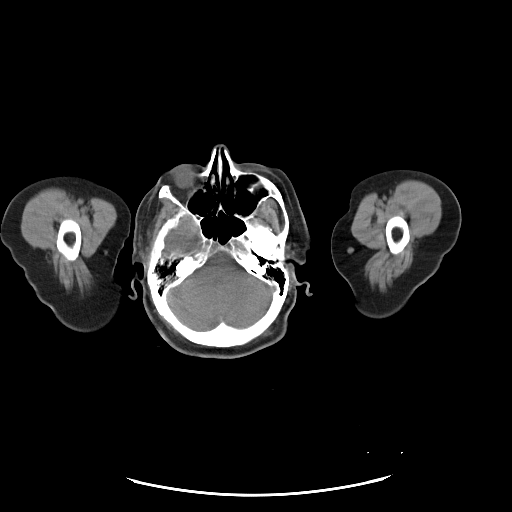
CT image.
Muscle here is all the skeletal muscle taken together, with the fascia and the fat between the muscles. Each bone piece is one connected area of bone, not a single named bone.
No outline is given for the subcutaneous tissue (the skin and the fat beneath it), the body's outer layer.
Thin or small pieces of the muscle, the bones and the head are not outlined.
The brain appears in 2 outlined pieces: piece 1: (219, 251) (228, 254) (235, 263) (248, 274) (263, 282) (271, 288) (272, 290) (271, 299) (264, 313) (249, 325) (238, 327) (228, 324) (222, 320) (209, 329) (197, 330) (182, 322) (174, 313) (168, 303) (168, 294) (171, 289) (178, 286) (196, 270) (201, 268) (214, 254); piece 2: (182, 219) (189, 220) (191, 222) (191, 224) (193, 227) (195, 228) (195, 230) (199, 238) (199, 247) (197, 249) (194, 249) (193, 251) (180, 252) (172, 250) (168, 253) (164, 253) (163, 251) (166, 246) (166, 242) (165, 241) (166, 237) (171, 230) (173, 230) (178, 227). The right arm is outlined by (62, 174) (86, 177) (113, 190) (125, 201) (130, 210) (129, 234) (118, 255) (113, 275) (123, 289) (121, 307) (107, 327) (94, 333) (76, 332) (60, 323) (50, 308) (36, 297) (24, 277) (23, 270) (13, 261) (9, 250) (0, 241) (3, 214) (13, 196) (35, 180). The bones appear in 3 outlined pieces: piece 1: (216, 147) (226, 148) (238, 169) (276, 185) (289, 221) (284, 255) (290, 281) (282, 307) (262, 333) (230, 347) (180, 334) (158, 313) (147, 284) (153, 242) (178, 211) (170, 199) (158, 197) (162, 185) (188, 201) (188, 209) (203, 217) (203, 233) (222, 244) (245, 229) (234, 213) (248, 215) (267, 193) (247, 190) (256, 179) (251, 175) (236, 182) (230, 177) (226, 191) (224, 153) (222, 185) (215, 157) (214, 187) (208, 179) (200, 190) (197, 174) with holes at (219, 251) (228, 254) (235, 263) (248, 274) (263, 282) (271, 288) (272, 290) (271, 299) (264, 313) (249, 325) (238, 327) (228, 324) (222, 320) (209, 329) (197, 330) (182, 322) (174, 313) (168, 303) (168, 294) (171, 289) (178, 286) (196, 270) (201, 268) (214, 254) and at (182, 219) (189, 220) (191, 222) (191, 224) (193, 227) (195, 228) (195, 230) (199, 238) (199, 247) (197, 249) (194, 249) (193, 251) (180, 252) (172, 250) (168, 253) (164, 253) (163, 251) (166, 246) (166, 242) (165, 241) (166, 237) (171, 230) (173, 230) (178, 227) and at (269, 198) (272, 198) (274, 199) (279, 205) (279, 207) (281, 210) (281, 213) (283, 217) (283, 220) (284, 221) (282, 228) (280, 231) (277, 233) (274, 232) (272, 228) (268, 224) (264, 224) (262, 223) (257, 216) (258, 212) (262, 209) (262, 206) (264, 205) (266, 201) and at (268, 271) (275, 271) (276, 272) (277, 272) (278, 273) (280, 273) (281, 274) (281, 275) (282, 276) (282, 278) (283, 279) (283, 284) (282, 285) (282, 287) (281, 287) (281, 285) (280, 284) (280, 282) (274, 276) (273, 276) (272, 275) (270, 275) (268, 273) and at (173, 265) (175, 265) (174, 266) (174, 269) (171, 272) (169, 272) (168, 273) (166, 273) (164, 275) (164, 274) (162, 272) (162, 271) (161, 270) (161, 269) (162, 268) (165, 268) (165, 269) (166, 270) (168, 270) (169, 269) (170, 269) (173, 266); piece 2: (67, 218) (71, 218) (76, 221) (79, 225) (80, 231) (81, 232) (81, 244) (79, 249) (79, 253) (78, 254) (78, 256) (72, 261) (66, 259) (66, 258) (57, 249) (57, 246) (56, 245) (57, 233) (58, 232) (58, 228) (59, 227) (60, 222) (63, 219) (66, 219); piece 3: (394, 215) (401, 215) (407, 221) (407, 223) (408, 224) (408, 228) (409, 229) (409, 240) (403, 250) (401, 252) (397, 254) (392, 254) (390, 252) (388, 245) (387, 244) (387, 241) (386, 240) (386, 235) (385, 234) (385, 227) (386, 226) (386, 223) (388, 219) (390, 217). The head is outlined by (218, 142) (234, 162) (285, 172) (311, 237) (305, 262) (294, 270) (298, 281) (310, 284) (311, 295) (305, 283) (296, 287) (286, 334) (271, 347) (232, 359) (176, 350) (148, 317) (139, 281) (134, 283) (136, 299) (129, 297) (140, 201) (175, 165) (205, 166) with holes at (222, 154) (228, 167) (226, 192) (230, 178) (236, 183) (241, 176) (255, 179) (245, 186) (250, 194) (266, 192) (248, 214) (233, 213) (244, 229) (223, 243) (204, 233) (204, 217) (188, 207) (196, 192) (207, 190) (208, 180) (215, 187) (215, 158) (218, 185) (223, 185) and at (268, 271) (275, 271) (276, 272) (277, 272) (278, 273) (280, 273) (281, 274) (281, 275) (282, 276) (282, 278) (283, 279) (283, 284) (282, 285) (282, 287) (281, 287) (281, 285) (280, 284) (280, 282) (274, 276) (273, 276) (272, 275) (270, 275) (268, 273) and at (173, 265) (175, 265) (174, 266) (174, 269) (171, 272) (169, 272) (168, 273) (166, 273) (164, 275) (164, 274) (162, 272) (162, 271) (161, 270) (161, 269) (162, 268) (165, 268) (165, 269) (166, 270) (168, 270) (169, 269) (170, 269) (173, 266). The left arm is outlined by (397, 168) (424, 171) (447, 184) (459, 202) (462, 218) (461, 226) (455, 245) (443, 257) (438, 270) (415, 290) (407, 304) (392, 316) (372, 319) (355, 309) (352, 291) (348, 283) (336, 270) (332, 261) (330, 239) (335, 223) (348, 210) (352, 188) (359, 181) (372, 174). The muscle appears in 6 outlined pieces: piece 1: (405, 179) (421, 180) (432, 186) (440, 196) (442, 202) (442, 216) (436, 230) (430, 235) (419, 238) (415, 243) (413, 260) (410, 267) (400, 277) (388, 293) (384, 296) (378, 295) (372, 292) (364, 281) (362, 267) (350, 231) (350, 226) (358, 204) (365, 194) (386, 188) with a hole at (394, 215) (401, 215) (407, 221) (407, 223) (408, 224) (408, 228) (409, 229) (409, 240) (403, 250) (401, 252) (397, 254) (392, 254) (390, 252) (388, 245) (387, 244) (387, 241) (386, 240) (386, 235) (385, 234) (385, 227) (386, 226) (386, 223) (388, 219) (390, 217); piece 2: (48, 187) (58, 187) (79, 194) (99, 197) (112, 203) (116, 209) (117, 212) (116, 223) (108, 232) (92, 258) (91, 269) (94, 278) (94, 286) (93, 289) (87, 295) (81, 296) (71, 292) (67, 292) (53, 278) (44, 264) (21, 235) (20, 222) (25, 203) (37, 192) with a hole at (67, 218) (71, 218) (76, 221) (79, 225) (80, 231) (81, 232) (81, 244) (79, 249) (79, 253) (78, 254) (78, 256) (72, 261) (66, 259) (66, 258) (57, 249) (57, 246) (56, 245) (57, 233) (58, 232) (58, 228) (59, 227) (60, 222) (63, 219) (66, 219); piece 3: (158, 188) (159, 188) (157, 192) (157, 197) (160, 199) (166, 198) (170, 200) (177, 206) (177, 211) (173, 215) (168, 217) (163, 222) (157, 231) (148, 254) (148, 260) (146, 265) (142, 261) (140, 257) (141, 218) (142, 217) (142, 212) (145, 205) (151, 197) (153, 192); piece 4: (254, 168) (265, 170) (277, 176) (284, 184) (289, 196) (292, 206) (294, 218) (295, 219) (297, 244) (294, 249) (294, 251) (291, 254) (287, 256) (285, 255) (285, 247) (290, 229) (290, 221) (282, 193) (277, 185) (271, 179) (265, 175) (253, 170) (245, 170) (253, 169); piece 5: (290, 282) (291, 283) (291, 289) (290, 290) (289, 298) (288, 299) (288, 301) (286, 303) (284, 308) (281, 312) (281, 314) (278, 320) (278, 323) (276, 325) (276, 328) (274, 332) (272, 334) (264, 338) (262, 338) (254, 343) (252, 343) (249, 345) (246, 345) (243, 347) (234, 347) (233, 348) (207, 348) (206, 347) (196, 346) (191, 344) (186, 344) (172, 335) (157, 319) (151, 303) (151, 299) (151, 301) (157, 313) (180, 335) (181, 335) (188, 341) (192, 343) (194, 343) (198, 345) (202, 345) (206, 347) (214, 347) (215, 348) (230, 348) (231, 347) (242, 346) (247, 344) (262, 334) (273, 323) (280, 313) (283, 307) (283, 305) (287, 297) (287, 294) (288, 293) (288, 289) (290, 285); piece 6: (269, 198) (272, 198) (274, 199) (279, 205) (279, 207) (281, 210) (281, 213) (283, 217) (283, 220) (284, 221) (282, 228) (280, 231) (277, 233) (274, 232) (272, 228) (268, 224) (264, 224) (262, 223) (257, 216) (258, 212) (262, 209) (262, 206) (264, 205) (266, 201).